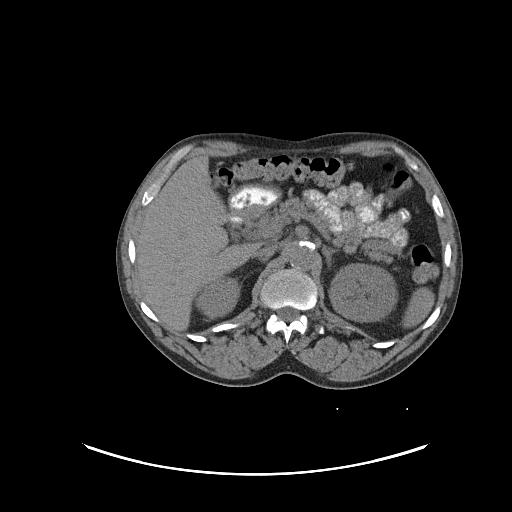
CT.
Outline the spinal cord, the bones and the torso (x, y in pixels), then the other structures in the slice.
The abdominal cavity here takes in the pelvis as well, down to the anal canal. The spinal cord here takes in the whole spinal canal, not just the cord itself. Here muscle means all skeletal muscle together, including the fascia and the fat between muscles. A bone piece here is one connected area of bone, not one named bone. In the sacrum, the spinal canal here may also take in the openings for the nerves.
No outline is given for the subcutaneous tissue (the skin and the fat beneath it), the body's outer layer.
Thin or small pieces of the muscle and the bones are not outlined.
The spinal cord is outlined by 286 306; 289 306; 292 308; 294 308; 298 310; 300 312; 299 314; 299 316; 297 319; 292 320; 289 322; 286 322; 284 320; 282 319; 280 319; 278 317; 276 311; 278 309; 280 308; 282 308; 283 307; 285 307. The bones appear in 11 outlined pieces: piece 1: 289 268; 297 269; 313 280; 317 288; 317 301; 306 312; 308 318; 306 331; 300 333; 297 330; 293 330; 288 341; 285 342; 284 335; 281 331; 275 333; 266 331; 265 323; 271 311; 265 305; 260 295; 262 286; 270 274; 281 269; inner edge: 286 306; 289 306; 292 308; 294 308; 298 310; 300 312; 299 314; 299 316; 297 319; 292 320; 289 322; 286 322; 284 320; 282 319; 280 319; 278 317; 276 311; 278 309; 280 308; 282 308; 283 307; 285 307; piece 2: 188 144; 191 145; 190 149; 173 167; 163 183; 160 186; 157 193; 151 201; 150 201; 147 205; 143 206; 141 204; 141 200; 144 192; 148 188; 148 187; 162 174; 164 171; 165 166; 170 160; 172 155; 178 149; piece 3: 434 193; 437 195; 437 196; 441 203; 441 205; 442 206; 442 208; 443 209; 443 212; 444 213; 444 216; 443 217; 439 217; 437 215; 436 215; 436 214; 435 213; 435 212; 434 211; 434 210; 430 203; 430 201; 431 200; 431 196; piece 4: 224 322; 228 322; 229 323; 235 323; 236 322; 238 322; 240 323; 240 325; 235 328; 231 328; 228 330; 223 330; 222 331; 219 331; 218 332; 214 332; 211 330; 211 328; 213 326; 217 324; 219 324; 220 323; 223 323; piece 5: 437 305; 440 305; 440 311; 439 312; 439 314; 438 315; 437 318; 433 322; 433 323; 431 325; 430 325; 428 327; 427 327; 424 329; 421 329; 420 328; 420 327; 428 318; 428 317; 431 314; 431 313; 433 311; 433 310; piece 6: 393 145; 395 145; 396 146; 401 148; 403 150; 403 151; 408 156; 408 157; 411 160; 412 160; 418 166; 418 170; 417 171; 414 170; 408 165; 407 162; 401 154; 400 154; 396 151; 395 151; 395 150; 393 147; piece 7: 448 241; 450 244; 450 247; 451 248; 451 258; 450 259; 450 265; 448 267; 447 267; 446 266; 445 266; 445 265; 444 264; 444 262; 443 261; 443 255; 444 254; 444 250; 445 249; 445 244; 446 243; 446 242; 447 242; piece 8: 142 300; 145 302; 145 303; 149 307; 149 308; 153 312; 153 313; 159 319; 159 321; 158 322; 157 322; 156 321; 155 321; 154 320; 151 319; 147 315; 146 315; 144 313; 144 312; 142 310; 142 309; 140 306; 140 301; 141 301; piece 9: 130 239; 133 239; 133 240; 134 241; 134 244; 135 245; 135 261; 134 262; 134 263; 131 263; 131 262; 130 261; 130 260; 129 259; 129 256; 128 255; 128 245; 129 244; 129 240; piece 10: 388 340; 394 340; 395 341; 395 342; 392 345; 391 345; 390 346; 389 346; 388 347; 387 347; 386 348; 377 348; 376 347; 373 347; 372 346; 372 344; 373 343; 375 343; 376 342; 379 342; 380 341; 387 341; piece 11: 187 333; 190 333; 191 334; 197 334; 198 335; 201 335; 202 336; 204 336; 205 337; 206 337; 207 340; 206 341; 204 341; 203 342; 198 342; 197 341; 194 341; 193 340; 190 339; 187 336; 186 336; 186 334. The torso is outlined by 223 131; 290 139; 342 131; 382 132; 407 142; 426 159; 456 216; 463 270; 451 319; 407 368; 382 382; 353 389; 323 388; 292 374; 231 387; 182 370; 136 326; 124 306; 116 273; 116 239; 124 212; 148 170; 171 145; 193 134. The muscle is outlined by 201 140; 270 149; 386 140; 417 157; 444 198; 457 246; 453 293; 441 319; 423 343; 375 375; 356 381; 334 381; 312 371; 288 351; 250 377; 224 378; 200 369; 159 341; 126 289; 121 244; 129 211; 140 189; 157 165; 176 149; 161 174; 142 194; 140 204; 145 209; 135 242; 133 238; 128 240; 127 255; 131 264; 135 262; 143 313; 194 342; 206 342; 206 336; 196 333; 209 328; 218 333; 239 327; 240 322; 227 321; 250 305; 254 285; 261 276; 269 274; 259 295; 270 311; 264 323; 266 332; 281 332; 285 343; 293 331; 304 334; 309 327; 307 312; 316 305; 318 293; 324 306; 349 324; 345 328; 359 328; 377 340; 371 344; 373 348; 386 349; 395 339; 418 328; 424 330; 438 318; 443 263; 447 268; 451 265; 451 244; 446 241; 442 253; 433 212; 443 218; 442 203; 434 192; 429 204; 425 189; 409 168; 417 172; 419 166; 401 147; 392 147; 407 165; 390 154; 244 151; 194 155; 170 174; 191 149; 189 143 with a hole at 320 326; 321 326; 322 326; 323 326; 324 327; 324 328; 324 329; 324 330; 324 331; 324 332; 324 333; 323 333; 322 334; 321 334; 320 334; 319 334; 318 333; 317 332; 317 331; 317 330; 317 329; 318 328; 319 327. The abdominal cavity is outlined by 244 152; 332 152; 401 160; 425 191; 441 246; 437 301; 423 323; 402 337; 378 341; 332 313; 314 280; 293 267; 261 275; 253 285; 249 305; 226 321; 195 333; 177 331; 161 321; 144 300; 136 270; 135 243; 146 206; 185 160.